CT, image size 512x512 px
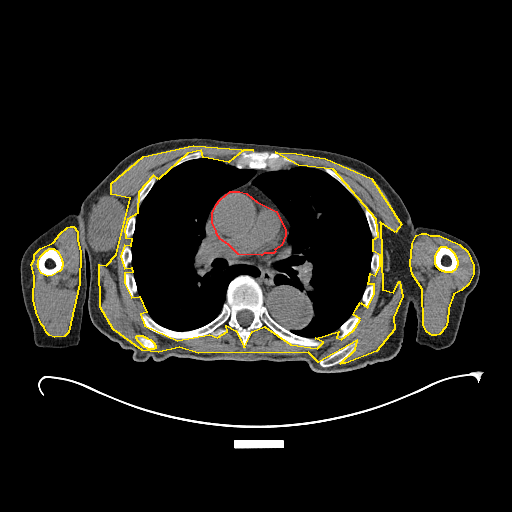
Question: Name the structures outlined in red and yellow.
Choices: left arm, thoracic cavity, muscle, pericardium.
Answer: red: pericardium; yellow: muscle.
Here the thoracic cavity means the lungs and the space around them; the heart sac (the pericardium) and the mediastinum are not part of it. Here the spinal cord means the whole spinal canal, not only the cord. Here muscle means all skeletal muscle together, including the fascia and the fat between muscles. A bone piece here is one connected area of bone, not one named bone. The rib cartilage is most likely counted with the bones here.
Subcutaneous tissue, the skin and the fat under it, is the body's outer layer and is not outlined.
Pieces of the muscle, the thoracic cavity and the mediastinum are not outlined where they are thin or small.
{"pericardium":[[[230,191],[239,191],[246,193],[256,201],[276,211],[285,230],[285,235],[281,245],[275,249],[274,250],[275,251],[273,253],[264,253],[261,255],[238,254],[228,244],[220,239],[216,233],[216,230],[212,223],[212,213],[216,204],[220,199]]],"muscle":[{"outer":[[193,145],[253,150],[243,150],[228,162],[203,157],[201,150],[187,153],[158,179],[153,175],[138,192],[137,213],[127,219],[124,229],[125,237],[131,238],[130,246],[124,245],[120,256],[124,268],[131,267],[132,272],[124,273],[124,283],[131,297],[139,296],[146,312],[140,314],[144,325],[177,340],[209,334],[217,337],[227,331],[226,325],[235,330],[244,347],[252,331],[264,326],[290,344],[317,348],[323,342],[315,338],[338,331],[336,337],[341,339],[353,330],[360,319],[353,314],[356,308],[360,302],[367,307],[374,294],[374,284],[368,284],[370,273],[375,275],[380,266],[380,255],[373,251],[373,239],[378,236],[376,219],[333,169],[298,165],[275,152],[296,153],[325,158],[371,178],[401,224],[395,232],[380,222],[382,289],[393,292],[399,281],[402,296],[393,317],[394,329],[376,351],[345,363],[340,363],[355,349],[357,340],[318,362],[308,352],[198,353],[179,347],[158,352],[142,350],[113,329],[100,307],[99,264],[106,265],[116,254],[130,198],[111,194],[111,183],[143,156]],"hole":[[137,335],[142,335],[143,336],[144,336],[145,337],[146,337],[147,338],[150,339],[154,343],[154,344],[155,345],[155,348],[154,348],[153,349],[148,349],[147,348],[144,347],[137,340],[137,339],[136,338],[136,336]]},{"outer":[[421,233],[426,233],[430,235],[439,235],[459,244],[467,251],[473,265],[473,274],[468,284],[461,290],[453,294],[448,308],[447,321],[445,327],[439,334],[436,335],[432,335],[427,332],[423,325],[422,289],[412,274],[410,264],[412,243],[416,235]],"hole":[[441,246],[445,246],[446,247],[449,248],[454,253],[454,254],[456,257],[456,259],[457,260],[457,265],[456,266],[455,269],[451,272],[445,272],[444,271],[442,271],[441,270],[440,270],[436,266],[436,265],[435,264],[435,255],[436,254],[437,251]]},{"outer":[[70,226],[73,226],[77,231],[77,239],[80,252],[79,283],[68,332],[64,336],[54,337],[49,335],[46,332],[44,327],[41,324],[36,312],[33,299],[34,276],[31,264],[34,259],[34,254],[40,248],[53,242],[60,233],[67,227]],"hole":[[49,248],[53,248],[57,251],[61,258],[61,260],[62,261],[62,266],[61,267],[61,269],[59,271],[52,275],[47,276],[41,273],[38,267],[38,265],[37,264],[38,263],[38,260],[40,256],[46,250],[47,250]]}],"spinal_cord":[[[241,310],[248,310],[249,311],[250,311],[252,313],[252,314],[253,315],[253,318],[252,319],[252,320],[251,321],[251,322],[248,325],[247,325],[246,326],[243,326],[242,325],[241,325],[239,323],[239,322],[237,319],[237,314],[238,313],[238,312]]],"torso":[[[193,137],[331,151],[365,162],[387,180],[404,202],[415,226],[410,304],[402,345],[394,357],[332,373],[313,371],[305,361],[176,356],[161,361],[136,361],[130,349],[122,348],[93,325],[86,300],[90,268],[77,213],[83,200],[130,153],[155,142]]],"right_arm":[[[72,213],[75,214],[76,213],[81,221],[82,242],[87,259],[86,260],[86,279],[87,280],[86,298],[83,304],[80,339],[77,345],[69,346],[64,348],[39,347],[34,343],[32,326],[23,301],[20,283],[20,262],[26,248],[38,236],[65,216]]],"left_arm":[[[416,226],[436,228],[462,239],[471,247],[479,263],[480,269],[479,278],[476,286],[466,298],[463,314],[455,340],[450,346],[442,349],[433,349],[425,345],[419,344],[415,339],[417,330],[417,318],[414,306],[411,303],[411,291],[412,241],[413,233]]],"thoracic_cavity":[[[200,158],[255,170],[245,183],[215,201],[206,218],[205,235],[218,259],[225,260],[229,267],[247,265],[257,273],[239,274],[228,283],[225,301],[212,320],[196,328],[175,330],[159,324],[147,313],[131,266],[131,243],[140,205],[157,180],[170,169]],[[294,166],[322,170],[341,184],[363,210],[372,238],[370,272],[359,303],[337,330],[316,337],[291,331],[303,331],[314,319],[314,308],[303,291],[278,279],[278,276],[291,277],[279,266],[291,254],[291,225],[277,205],[253,184],[253,180],[265,172]]],"mediastinum":[[[265,169],[269,170],[256,176],[252,184],[276,205],[290,225],[290,254],[278,264],[290,277],[278,275],[277,279],[294,286],[310,300],[313,319],[303,330],[288,330],[276,321],[264,304],[262,289],[253,277],[257,271],[243,263],[229,266],[225,259],[217,257],[206,235],[210,210],[228,192],[211,213],[211,223],[221,241],[242,256],[273,254],[282,245],[286,230],[277,211],[246,192],[230,190],[245,184],[256,170]]],"bones":[{"outer":[[242,274],[259,285],[263,304],[276,322],[298,336],[321,341],[319,347],[290,343],[265,325],[251,331],[245,346],[236,330],[226,324],[226,331],[217,336],[209,333],[177,339],[152,331],[141,319],[146,313],[171,330],[199,328],[221,312],[229,283]],"hole":[[241,310],[248,310],[249,311],[250,311],[252,313],[252,314],[253,315],[253,318],[252,319],[252,320],[251,321],[251,322],[248,325],[247,325],[246,326],[243,326],[242,325],[241,325],[239,323],[239,322],[237,319],[237,314],[238,313],[238,312]]},[[243,151],[247,153],[249,153],[252,151],[257,151],[258,152],[266,151],[269,153],[274,152],[277,153],[282,157],[287,157],[296,161],[297,165],[277,170],[270,170],[267,168],[264,169],[255,169],[247,167],[238,168],[229,162]],[[49,248],[53,248],[57,251],[61,258],[61,260],[62,261],[62,266],[61,267],[61,269],[59,271],[52,275],[47,276],[41,273],[38,267],[38,265],[37,264],[38,263],[38,260],[40,256],[46,250],[47,250]],[[441,246],[445,246],[446,247],[449,248],[454,253],[454,254],[456,257],[456,259],[457,260],[457,265],[456,266],[455,269],[451,272],[445,272],[444,271],[442,271],[441,270],[440,270],[436,266],[436,265],[435,264],[435,255],[436,254],[437,251]],[[353,341],[357,341],[357,344],[355,346],[354,349],[351,352],[351,353],[343,361],[335,365],[332,365],[328,367],[323,367],[319,364],[319,361],[320,360],[328,357],[331,354],[341,349],[343,347],[344,347],[346,345],[347,345],[349,343]],[[355,314],[356,315],[358,315],[359,317],[359,319],[357,323],[355,325],[355,326],[352,329],[352,330],[344,337],[342,337],[341,338],[338,338],[337,337],[338,335],[340,334],[340,332],[338,330],[340,326],[343,323],[344,323],[352,315],[354,315]],[[365,208],[368,208],[372,212],[373,216],[375,219],[375,222],[377,226],[377,236],[375,238],[373,238],[372,237],[372,235],[371,234],[371,232],[369,228],[369,225],[368,224],[368,222],[367,221],[367,219],[366,218],[366,216],[364,212],[364,209]],[[153,176],[155,176],[156,177],[156,181],[153,184],[152,187],[150,189],[150,190],[148,192],[146,196],[143,199],[141,203],[140,204],[138,204],[136,200],[137,199],[137,196],[139,192],[144,186],[144,185]],[[127,271],[128,271],[133,274],[133,276],[134,277],[134,280],[135,281],[135,284],[136,285],[136,287],[137,288],[137,292],[136,293],[135,293],[133,296],[131,296],[130,295],[130,294],[127,289],[127,287],[126,286],[126,284],[125,283],[125,273]],[[324,167],[327,167],[333,170],[338,174],[339,174],[348,183],[350,187],[353,190],[354,192],[354,196],[352,194],[351,194],[350,192],[341,183],[340,183],[335,178],[331,176],[328,173],[324,171],[323,170]],[[196,151],[201,151],[203,153],[202,157],[200,157],[196,159],[191,159],[190,160],[187,160],[186,161],[184,161],[178,164],[174,167],[172,167],[173,163],[177,159],[178,159],[182,156],[184,156],[187,154],[189,154],[190,153],[192,153]],[[369,284],[373,284],[374,286],[374,290],[373,291],[373,294],[372,295],[372,297],[369,303],[367,305],[367,306],[365,307],[363,305],[363,303],[361,301],[361,299],[362,298],[362,296],[364,293],[364,291],[367,285]],[[126,245],[127,246],[130,247],[130,250],[131,251],[131,262],[130,263],[130,264],[129,264],[128,265],[127,268],[125,268],[125,267],[123,265],[123,262],[122,261],[122,257],[121,256],[121,251],[122,250],[122,248],[124,246],[125,246]],[[132,215],[133,215],[134,216],[135,216],[135,226],[134,227],[134,231],[133,232],[133,234],[132,235],[132,236],[129,238],[127,238],[125,235],[125,229],[126,228],[126,225],[127,224],[127,221],[128,220],[128,219]],[[137,335],[142,335],[143,336],[144,336],[145,337],[146,337],[147,338],[150,339],[154,343],[154,344],[155,345],[155,348],[154,348],[153,349],[148,349],[147,348],[144,347],[137,340],[137,339],[136,338],[136,336]],[[373,252],[376,252],[379,255],[379,266],[378,267],[378,269],[377,270],[377,272],[375,274],[374,274],[371,271],[371,259],[372,258],[372,255],[373,254]]]}